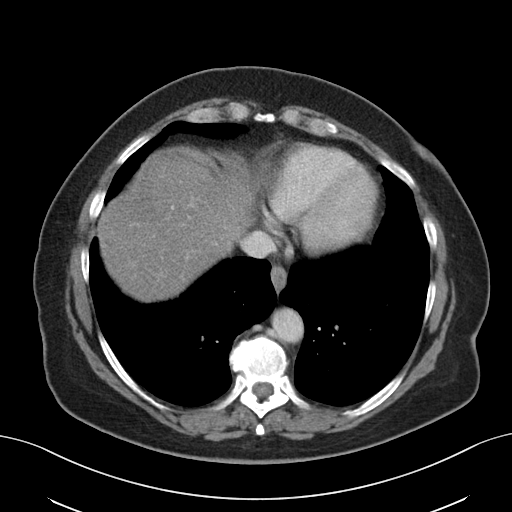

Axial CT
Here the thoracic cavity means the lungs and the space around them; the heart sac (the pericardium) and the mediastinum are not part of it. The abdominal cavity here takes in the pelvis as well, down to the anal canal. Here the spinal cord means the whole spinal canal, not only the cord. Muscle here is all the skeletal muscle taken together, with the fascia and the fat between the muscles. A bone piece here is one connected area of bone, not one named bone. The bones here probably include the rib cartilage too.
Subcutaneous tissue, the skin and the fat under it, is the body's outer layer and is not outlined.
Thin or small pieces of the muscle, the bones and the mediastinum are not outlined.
{"torso":[[[235,65],[305,73],[354,91],[398,121],[450,174],[480,232],[490,275],[488,309],[475,340],[479,387],[468,403],[365,449],[273,464],[221,463],[162,453],[100,431],[58,404],[45,378],[32,285],[39,234],[52,199],[94,140],[142,97],[186,74]]],"muscle":[[[227,95],[273,108],[294,104],[325,113],[362,133],[400,163],[385,154],[376,159],[357,143],[335,137],[339,128],[324,118],[303,115],[295,108],[283,110],[282,121],[276,121],[272,111],[257,111],[248,118],[250,107],[236,100],[223,108],[233,120],[219,120],[222,110],[217,106],[202,106],[155,135],[138,136],[116,158],[120,166],[107,189],[98,189],[88,207],[88,217],[95,219],[93,236],[79,257],[100,329],[98,343],[119,378],[160,410],[170,408],[145,390],[187,408],[219,399],[208,407],[214,411],[238,398],[259,419],[288,401],[305,410],[312,407],[307,400],[334,407],[356,406],[342,412],[351,419],[367,413],[404,379],[407,370],[400,371],[436,296],[430,251],[437,246],[437,230],[430,215],[421,220],[419,216],[413,177],[444,233],[446,274],[453,279],[455,307],[434,369],[352,428],[316,432],[308,439],[274,433],[261,436],[265,433],[261,422],[254,428],[256,435],[218,441],[178,432],[102,380],[72,334],[65,309],[66,266],[82,206],[103,170],[133,138],[164,116],[192,102]]],"bones":[{"outer":[[260,335],[274,340],[284,349],[289,360],[285,373],[298,393],[311,407],[309,409],[301,408],[288,400],[259,418],[237,397],[222,409],[210,409],[209,407],[222,398],[234,383],[236,374],[232,372],[229,364],[229,353],[232,346],[242,339]],"hole":[[258,382],[266,382],[267,383],[268,383],[269,384],[270,384],[271,385],[271,386],[272,387],[272,392],[266,398],[265,398],[264,399],[262,399],[261,400],[260,400],[259,399],[259,398],[253,392],[253,386],[256,383],[257,383]]},[[287,109],[295,109],[303,116],[317,117],[331,122],[335,124],[338,128],[338,133],[336,135],[333,136],[332,135],[329,136],[320,136],[307,131],[306,130],[306,127],[302,123],[300,123],[296,126],[290,125],[284,122],[280,118],[280,115],[282,112]],[[99,330],[101,331],[103,336],[105,338],[113,353],[127,373],[148,395],[152,397],[159,403],[161,403],[167,406],[169,409],[160,409],[151,404],[148,401],[136,393],[120,378],[107,360],[101,348],[101,346],[99,343],[98,337],[97,336],[97,332]],[[403,370],[406,370],[406,372],[403,379],[399,385],[395,389],[395,390],[380,404],[363,414],[361,414],[351,418],[347,415],[344,415],[343,414],[343,412],[344,411],[348,409],[352,409],[358,406],[364,401],[371,397],[383,388],[398,373],[401,372]],[[379,155],[385,155],[390,159],[397,162],[404,168],[405,168],[406,170],[410,174],[410,175],[412,177],[415,183],[415,186],[414,188],[413,189],[411,189],[402,180],[401,180],[397,176],[396,176],[386,167],[382,165],[377,160],[377,157]],[[202,107],[217,107],[219,108],[221,110],[221,113],[220,114],[220,117],[218,121],[214,121],[213,122],[191,122],[190,121],[187,121],[185,119],[185,116],[190,111],[192,110],[194,110],[195,109],[197,109],[198,108],[201,108]],[[146,133],[151,133],[153,135],[153,136],[149,140],[148,140],[144,144],[143,144],[138,149],[137,149],[131,155],[130,155],[121,165],[119,165],[117,164],[116,163],[116,160],[117,158],[121,154],[121,153],[134,140],[135,140],[138,137]],[[231,101],[236,101],[237,102],[239,102],[242,104],[244,104],[248,106],[250,109],[250,114],[249,116],[247,118],[245,119],[242,119],[241,120],[234,120],[232,119],[230,117],[230,116],[227,113],[226,113],[224,109],[225,106],[229,102]],[[425,215],[428,215],[431,217],[434,223],[435,229],[436,230],[436,235],[437,236],[437,242],[436,243],[436,246],[433,250],[430,250],[429,244],[428,243],[428,241],[427,240],[427,238],[425,234],[425,231],[423,227],[423,224],[422,223],[422,219]],[[100,189],[105,189],[106,190],[106,192],[104,196],[104,199],[103,200],[103,205],[97,217],[94,219],[91,219],[89,217],[89,207],[90,206],[91,201],[95,193],[98,190]],[[430,279],[432,279],[435,282],[435,285],[436,286],[435,289],[435,296],[427,320],[425,323],[423,324],[423,318],[424,317],[424,312],[425,311],[425,303],[426,302],[426,297],[427,296],[427,289],[428,288],[428,285]],[[83,247],[88,247],[88,251],[89,252],[89,282],[88,283],[87,283],[84,280],[84,278],[83,277],[83,274],[82,273],[82,271],[81,270],[81,258],[80,257],[80,254],[81,253],[81,249]]],"pericardium":[[[290,136],[323,139],[348,145],[361,151],[374,165],[381,178],[383,208],[379,223],[369,242],[355,244],[343,250],[316,259],[310,259],[303,256],[289,262],[285,259],[272,234],[259,224],[253,205],[253,177],[257,150],[265,143],[278,137],[283,138]]],"thoracic_cavity":[[[380,165],[411,190],[428,244],[429,280],[422,323],[408,358],[383,387],[358,405],[334,406],[302,396],[286,373],[290,360],[295,360],[300,349],[305,326],[299,312],[280,301],[280,293],[287,285],[292,265],[299,260],[316,260],[372,242],[386,210]],[[95,236],[99,257],[109,279],[123,295],[142,304],[176,299],[220,262],[235,256],[264,259],[269,263],[275,305],[267,317],[234,338],[228,364],[235,374],[224,395],[204,405],[177,405],[148,392],[128,373],[104,336],[96,315],[89,283],[89,247]],[[180,120],[191,123],[237,123],[244,126],[246,130],[235,137],[229,138],[207,137],[188,132],[175,132],[170,134],[162,143],[153,149],[146,156],[118,193],[112,197],[105,205],[104,200],[107,190],[119,168],[130,156],[158,134],[164,127],[172,122]]],"mediastinum":[[[259,225],[271,234],[287,262],[303,257],[291,265],[286,285],[279,293],[279,301],[295,309],[304,326],[303,338],[293,361],[277,341],[263,334],[242,338],[233,344],[244,330],[267,318],[277,301],[270,278],[270,263],[264,258],[236,254],[244,238]],[[250,118],[256,122],[264,123],[283,122],[316,136],[330,136],[353,142],[380,164],[378,170],[369,158],[358,148],[329,139],[298,135],[278,136],[256,147],[252,145],[252,140],[247,135],[239,135],[247,130],[244,125],[237,122],[219,121],[241,121]]],"spinal_cord":[[[258,382],[266,382],[267,383],[268,383],[269,384],[270,384],[271,385],[271,386],[272,387],[272,392],[266,398],[265,398],[264,399],[262,399],[261,400],[260,400],[259,399],[259,398],[253,392],[253,386],[256,383],[257,383]]],"abdominal_cavity":[[[237,136],[247,136],[251,140],[251,145],[258,148],[252,177],[252,205],[258,225],[243,238],[236,255],[220,261],[176,298],[142,303],[123,294],[108,276],[100,257],[98,238],[94,236],[96,219],[103,206],[119,193],[147,156],[166,140],[229,139]]]}